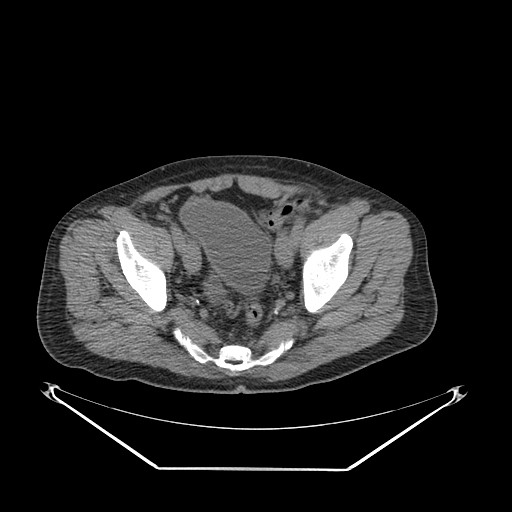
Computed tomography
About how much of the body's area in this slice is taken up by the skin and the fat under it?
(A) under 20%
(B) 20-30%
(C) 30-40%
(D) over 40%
Answer: (B) 20-30%
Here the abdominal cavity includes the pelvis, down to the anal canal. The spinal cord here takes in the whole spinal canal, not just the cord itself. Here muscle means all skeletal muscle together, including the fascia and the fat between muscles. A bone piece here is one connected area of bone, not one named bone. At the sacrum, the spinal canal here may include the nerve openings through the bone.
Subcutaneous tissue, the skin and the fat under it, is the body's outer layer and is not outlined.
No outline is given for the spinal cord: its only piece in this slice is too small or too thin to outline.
The bones appear in 3 outlined pieces: piece 1: 342 232; 348 233; 352 238; 353 241; 353 246; 349 254; 347 277; 332 297; 315 313; 311 313; 309 312; 304 306; 304 300; 303 299; 303 284; 302 283; 302 264; 312 249; 315 249; 319 247; 326 247; 330 245; 339 237; 339 235; piece 2: 120 230; 126 230; 130 235; 131 241; 134 247; 144 257; 155 262; 161 269; 163 270; 166 278; 167 301; 166 302; 166 306; 162 311; 159 312; 154 311; 148 306; 126 280; 120 266; 120 263; 116 250; 116 243; 115 242; 115 239; piece 3: 176 327; 214 356; 222 346; 228 344; 246 346; 256 357; 277 347; 281 341; 292 338; 294 342; 272 363; 254 365; 236 371; 236 375; 231 375; 232 372; 228 368; 220 367; 212 361; 204 363; 197 361; 174 337; 172 331. The torso is outlined by 229 154; 276 155; 313 162; 376 188; 409 208; 426 234; 428 265; 437 298; 437 319; 430 335; 417 346; 331 381; 250 394; 188 392; 133 379; 116 381; 53 359; 38 335; 36 305; 47 241; 59 219; 91 194; 155 167; 185 158. The muscle is outlined by 225 173; 241 173; 305 182; 316 186; 326 195; 348 198; 360 197; 377 201; 405 217; 410 226; 413 255; 404 276; 403 317; 393 332; 373 345; 321 364; 294 377; 275 381; 262 381; 244 375; 227 376; 218 379; 190 377; 140 362; 116 360; 100 356; 87 350; 78 342; 67 322; 65 311; 66 290; 64 279; 58 267; 59 243; 68 225; 95 207; 127 205; 140 194; 158 186; 190 182, around holes outlined by 232 185; 266 198; 307 191; 328 209; 300 233; 302 264; 312 249; 330 245; 342 232; 353 241; 347 277; 332 297; 311 313; 304 306; 302 283; 291 316; 273 322; 251 346; 255 357; 289 338; 294 339; 291 347; 272 363; 254 365; 236 375; 212 361; 197 361; 174 337; 172 331; 178 327; 214 356; 220 339; 173 297; 172 238; 164 228; 149 223; 144 211; 180 188; 208 192 and by 120 230; 126 230; 130 235; 131 241; 134 247; 144 257; 155 262; 161 269; 163 270; 166 278; 167 301; 166 302; 166 306; 162 311; 159 312; 154 311; 148 306; 126 280; 120 266; 120 263; 116 250; 116 243; 115 242; 115 239. The abdominal cavity is outlined by 232 185; 266 198; 307 191; 317 204; 328 209; 304 227; 299 236; 301 286; 297 307; 291 316; 267 327; 252 349; 237 343; 220 347; 218 333; 193 318; 175 300; 171 293; 172 238; 164 228; 149 223; 144 211; 180 188; 208 192.